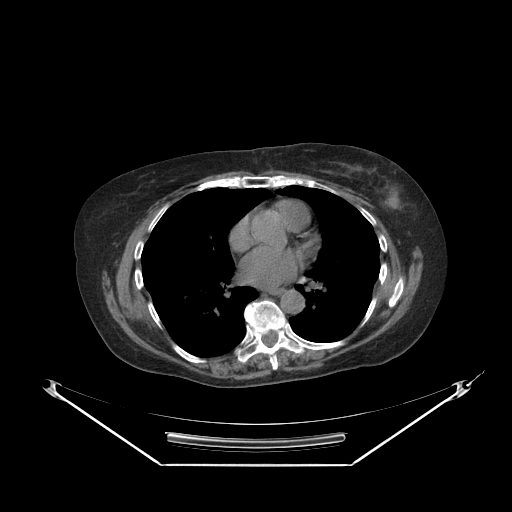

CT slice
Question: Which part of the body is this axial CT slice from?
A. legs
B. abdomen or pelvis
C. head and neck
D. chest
Answer: D. chest
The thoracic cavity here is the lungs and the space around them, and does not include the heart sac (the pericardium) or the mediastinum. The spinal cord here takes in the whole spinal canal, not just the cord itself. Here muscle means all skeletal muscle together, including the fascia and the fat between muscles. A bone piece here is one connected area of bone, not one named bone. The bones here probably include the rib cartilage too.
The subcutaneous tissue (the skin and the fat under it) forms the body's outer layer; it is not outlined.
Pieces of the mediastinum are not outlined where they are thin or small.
Outlined structures:
thoracic cavity 1: [[216,187],[266,188],[272,195],[248,211],[230,228],[227,235],[234,264],[233,277],[239,286],[249,286],[257,293],[256,299],[248,302],[242,312],[244,336],[230,351],[200,357],[176,343],[162,323],[144,286],[140,260],[150,233],[174,203],[192,192]]
thoracic cavity 2: [[291,185],[317,188],[340,196],[367,220],[378,241],[380,265],[370,301],[358,325],[338,340],[306,339],[293,330],[288,320],[306,306],[306,298],[295,285],[304,283],[304,274],[312,267],[322,246],[319,223],[311,206],[300,197],[276,192],[278,188]]
muscle: [[270,169],[311,175],[365,195],[387,229],[403,265],[408,265],[413,249],[416,246],[420,248],[423,254],[421,277],[407,311],[376,338],[327,360],[320,367],[277,370],[277,352],[280,349],[302,354],[306,349],[318,351],[339,348],[347,343],[346,337],[357,326],[361,328],[369,320],[378,300],[373,295],[374,286],[377,281],[382,285],[388,273],[387,263],[380,261],[380,253],[388,251],[388,242],[381,232],[376,234],[373,227],[377,221],[365,207],[354,206],[337,190],[324,183],[284,174],[237,174],[205,180],[171,205],[166,202],[149,222],[146,241],[139,239],[134,246],[133,258],[140,261],[140,267],[134,268],[133,278],[138,290],[144,287],[149,293],[150,299],[146,305],[151,318],[160,330],[165,328],[173,341],[170,343],[171,348],[186,361],[205,363],[206,358],[232,351],[240,363],[245,363],[254,355],[265,354],[273,371],[250,379],[216,378],[192,371],[135,343],[109,312],[101,275],[103,269],[109,268],[120,258],[129,236],[147,215],[149,207],[181,186],[208,175],[238,170],[260,173]]; inner edge: [[400,276],[402,276],[404,278],[404,285],[403,286],[403,290],[402,291],[402,293],[400,297],[397,300],[395,305],[392,307],[389,307],[388,306],[388,300],[390,296],[392,294],[393,292],[393,290],[394,289],[394,287],[395,286],[395,284],[397,282]]
pericardium: [[279,196],[298,198],[303,200],[311,208],[315,222],[320,233],[321,246],[311,265],[301,273],[295,280],[289,283],[284,283],[275,286],[254,285],[248,283],[242,277],[238,270],[230,251],[228,242],[228,235],[231,228],[253,208],[259,204],[272,200]]
spinal cord: [[270,331],[274,331],[276,333],[276,334],[277,335],[277,339],[276,340],[276,341],[273,344],[273,345],[272,345],[271,346],[268,346],[267,345],[266,345],[263,342],[263,341],[262,340],[262,337],[263,336],[263,335],[265,335],[266,334],[267,334]]
torso: [[298,142],[347,144],[377,152],[407,171],[429,198],[444,232],[449,261],[442,297],[418,340],[401,355],[380,365],[245,388],[216,388],[151,373],[115,356],[91,322],[76,281],[73,231],[78,212],[87,197],[113,177],[152,162],[203,151],[251,149]]
bones 1: [[262,299],[273,301],[292,330],[302,338],[313,342],[334,342],[346,338],[346,343],[327,349],[306,348],[302,353],[280,348],[276,352],[276,370],[272,369],[265,353],[254,354],[245,362],[240,362],[233,349],[246,333],[243,315],[245,306],[254,300]] with a hole at [[270,331],[274,331],[276,333],[276,334],[277,335],[277,339],[276,340],[276,341],[273,344],[273,345],[272,345],[271,346],[268,346],[267,345],[266,345],[263,342],[263,341],[262,340],[262,337],[263,336],[263,335],[265,335],[266,334],[267,334]]
bones 2: [[237,175],[239,176],[284,175],[289,177],[299,177],[311,179],[334,189],[339,193],[339,195],[325,189],[317,187],[309,187],[299,184],[291,184],[276,188],[271,187],[268,188],[266,187],[231,188],[225,186],[216,186],[190,192],[192,188],[205,181]]
bones 3: [[172,342],[174,342],[185,351],[195,356],[197,356],[200,358],[205,358],[206,359],[206,361],[205,362],[200,362],[199,363],[194,363],[193,362],[190,362],[186,360],[184,358],[180,356],[172,348],[171,346],[171,343]]
bones 4: [[400,276],[402,276],[404,278],[404,285],[403,286],[403,290],[402,291],[402,293],[400,297],[397,300],[395,305],[392,307],[389,307],[388,306],[388,300],[390,296],[392,294],[393,292],[393,290],[394,289],[394,287],[395,286],[395,284],[397,282]]
bones 5: [[166,203],[169,203],[170,204],[170,206],[164,212],[164,213],[158,220],[158,221],[156,223],[156,224],[154,226],[152,230],[150,232],[148,232],[147,231],[147,229],[148,228],[148,226],[150,222],[152,220],[154,216],[157,213],[157,212]]
bones 6: [[373,296],[376,296],[377,297],[377,300],[376,301],[375,306],[374,307],[368,320],[361,327],[359,327],[358,326],[361,322],[361,321],[363,319],[363,318],[364,317],[364,315],[368,308],[368,306],[369,305],[369,304],[371,301],[371,299]]
bones 7: [[150,300],[151,300],[151,301],[153,304],[153,306],[154,307],[154,308],[160,319],[160,321],[163,325],[163,329],[160,329],[158,327],[158,326],[152,318],[152,317],[149,312],[149,310],[148,309],[148,306],[147,305],[147,304]]
bones 8: [[137,267],[138,267],[139,268],[140,268],[140,269],[141,270],[141,273],[142,274],[142,279],[143,280],[143,287],[141,289],[138,289],[137,288],[137,287],[136,286],[136,284],[135,283],[135,279],[134,278],[134,270],[135,269],[135,268],[136,268]]
bones 9: [[358,206],[361,206],[362,207],[363,207],[364,208],[365,208],[373,216],[373,217],[375,219],[375,220],[376,221],[376,225],[375,226],[373,226],[368,221],[368,220],[367,219],[366,219],[366,218],[359,211],[359,210],[357,208],[357,207]]
bones 10: [[384,261],[386,263],[386,264],[387,265],[387,273],[386,274],[386,276],[385,277],[385,279],[384,280],[384,282],[382,284],[380,284],[380,283],[378,280],[378,276],[379,275],[379,271],[380,270],[380,266],[381,265],[381,262],[383,262]]
bones 11: [[139,240],[142,240],[144,242],[144,245],[143,246],[143,248],[142,249],[142,251],[141,252],[141,256],[140,257],[140,259],[139,260],[135,260],[135,259],[134,258],[134,250],[135,249],[135,246],[136,245],[136,244],[137,243],[137,242]]
bones 12: [[380,233],[381,233],[385,237],[385,238],[386,239],[386,241],[387,242],[387,251],[386,252],[383,252],[382,251],[381,251],[381,249],[380,248],[380,245],[379,244],[379,241],[378,240],[378,238],[377,237],[377,235],[378,234],[379,234]]
mediastinum 1: [[235,264],[241,277],[248,284],[259,287],[275,287],[289,284],[295,281],[304,272],[303,276],[305,278],[303,283],[294,285],[305,298],[304,308],[299,313],[287,319],[281,308],[273,300],[269,298],[257,299],[258,293],[253,287],[238,284],[234,277]]
mediastinum 2: [[269,188],[271,188],[272,189],[276,189],[275,190],[275,192],[278,195],[282,195],[283,196],[290,196],[281,196],[279,195],[272,199],[270,199],[260,203],[264,200],[266,200],[268,198],[270,198],[273,195],[273,192],[270,189],[269,189]]